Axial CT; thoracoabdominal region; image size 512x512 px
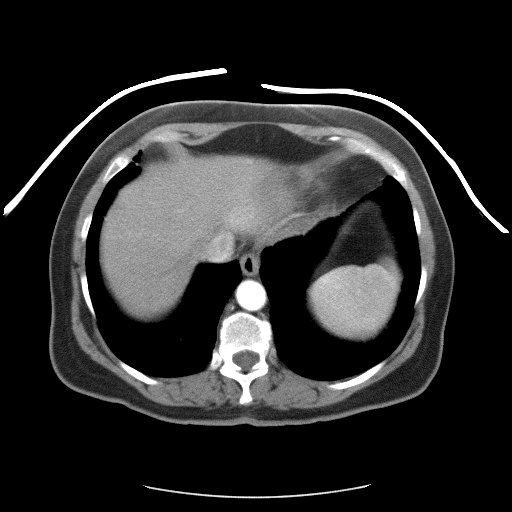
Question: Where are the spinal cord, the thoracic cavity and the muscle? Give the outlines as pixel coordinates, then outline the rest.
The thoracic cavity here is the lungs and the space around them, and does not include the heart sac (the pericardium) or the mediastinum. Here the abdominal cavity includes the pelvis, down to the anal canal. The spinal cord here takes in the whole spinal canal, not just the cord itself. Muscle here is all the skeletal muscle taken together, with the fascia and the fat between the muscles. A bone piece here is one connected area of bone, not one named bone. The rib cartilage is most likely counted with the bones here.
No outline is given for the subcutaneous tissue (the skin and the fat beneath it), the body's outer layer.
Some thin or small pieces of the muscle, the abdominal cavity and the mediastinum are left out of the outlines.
Answer: {"spinal_cord":[[[247,350],[248,351],[251,351],[252,352],[254,352],[256,353],[258,356],[258,359],[257,361],[250,367],[248,371],[244,371],[242,367],[238,364],[237,364],[233,360],[233,356],[236,353],[238,353],[242,351],[246,351]]],"thoracic_cavity":[[[388,175],[408,196],[419,249],[420,275],[409,325],[384,359],[356,375],[324,380],[296,373],[277,355],[269,320],[272,304],[259,272],[261,253],[339,219],[309,272],[305,310],[334,339],[375,340],[394,315],[404,281],[388,210],[378,199],[362,199]],[[140,151],[139,172],[117,189],[103,214],[97,240],[101,281],[119,312],[141,324],[162,322],[180,307],[199,265],[236,259],[241,271],[219,316],[218,343],[208,364],[187,375],[150,376],[120,359],[98,327],[89,292],[86,241],[94,209],[108,182]]],"muscle":[{"outer":[[250,120],[268,120],[269,121],[299,123],[300,124],[307,124],[316,126],[328,125],[334,127],[343,127],[355,130],[369,136],[384,148],[387,149],[406,168],[415,187],[419,192],[421,199],[424,204],[425,211],[433,233],[433,238],[435,244],[435,264],[434,265],[433,275],[431,278],[430,285],[425,299],[425,321],[424,322],[424,328],[422,332],[422,337],[413,354],[401,365],[391,371],[381,379],[354,392],[343,400],[329,405],[320,407],[313,407],[312,408],[290,408],[287,410],[279,410],[274,409],[269,406],[263,406],[262,405],[258,407],[254,407],[251,405],[250,406],[232,406],[231,407],[224,407],[223,406],[214,409],[205,409],[202,407],[195,407],[194,406],[173,406],[172,405],[161,404],[147,398],[133,386],[113,372],[91,359],[81,349],[73,334],[71,329],[70,305],[69,304],[71,294],[70,266],[72,263],[71,249],[74,233],[74,226],[79,212],[79,209],[91,186],[112,157],[122,149],[135,142],[149,130],[163,124],[177,123],[178,122],[207,122],[210,123],[211,122],[249,121]],"hole":[[250,124],[278,126],[318,144],[340,146],[338,141],[328,140],[328,137],[353,136],[393,157],[405,171],[406,193],[421,225],[417,241],[420,263],[427,272],[425,288],[398,345],[376,373],[358,384],[344,389],[328,388],[326,384],[344,379],[303,376],[277,355],[274,360],[268,355],[268,371],[251,381],[252,400],[247,404],[239,403],[242,387],[235,379],[222,375],[217,368],[208,369],[207,365],[187,375],[152,376],[160,383],[147,384],[120,366],[120,359],[109,347],[88,309],[80,281],[86,270],[86,243],[81,240],[81,228],[85,217],[94,211],[106,185],[102,178],[114,158],[129,150],[141,152],[159,144],[146,137],[164,129],[186,134],[183,143],[198,144]]}],"torso":[[[195,100],[358,109],[383,119],[412,144],[444,214],[455,258],[442,358],[437,373],[422,393],[386,407],[311,424],[184,425],[158,420],[120,403],[79,393],[56,376],[48,352],[51,318],[48,258],[54,225],[73,181],[96,147],[128,119],[155,106]]],"pericardium":[[[283,170],[295,170],[311,178],[322,191],[325,197],[327,213],[325,219],[305,235],[289,235],[280,239],[279,241],[278,240],[277,242],[276,241],[273,244],[264,244],[250,238],[245,233],[239,220],[238,209],[241,204],[244,193],[251,186],[265,176]]],"mediastinum":[[[356,154],[365,155],[377,162],[387,173],[387,175],[386,175],[382,180],[382,182],[379,186],[368,192],[364,195],[361,199],[355,200],[354,201],[348,201],[334,194],[327,187],[324,179],[324,174],[325,171],[339,159]],[[249,244],[252,244],[253,249],[255,250],[255,257],[259,260],[258,272],[271,304],[269,319],[260,318],[249,312],[238,310],[222,317],[218,327],[220,316],[224,306],[232,292],[242,279],[242,271],[238,258],[244,251],[244,248]]],"abdominal_cavity":[[[250,124],[355,154],[324,171],[325,185],[383,204],[403,270],[375,339],[334,338],[306,310],[340,219],[324,221],[323,191],[295,169],[241,197],[242,230],[273,245],[259,259],[249,243],[199,264],[159,322],[126,317],[106,291],[102,220],[142,151]]],"bones":[{"outer":[[238,311],[249,313],[260,319],[267,319],[270,322],[276,350],[274,360],[268,355],[266,357],[268,371],[251,381],[249,392],[252,400],[247,404],[239,403],[242,387],[235,379],[222,375],[217,368],[208,369],[213,349],[219,343],[218,329],[222,318]],"hole":[[247,350],[248,351],[251,351],[252,352],[254,352],[256,353],[258,356],[258,359],[257,361],[250,367],[248,371],[244,371],[242,367],[238,364],[237,364],[233,360],[233,356],[236,353],[238,353],[242,351],[246,351]]},[[336,134],[346,134],[348,136],[353,136],[355,138],[369,142],[393,157],[395,161],[405,171],[405,175],[408,183],[408,190],[407,191],[396,179],[388,174],[377,161],[371,157],[365,154],[349,151],[343,147],[338,141],[328,140],[327,139],[328,137]],[[383,360],[385,361],[385,363],[376,373],[366,380],[358,384],[356,384],[353,386],[351,386],[344,389],[331,389],[330,388],[328,388],[326,386],[326,384],[328,383],[334,383],[338,381],[344,381],[354,376],[356,376],[364,372],[366,370],[369,369]],[[135,149],[137,149],[138,152],[132,158],[132,160],[130,161],[127,164],[127,165],[126,165],[122,169],[116,173],[107,182],[106,184],[104,184],[102,182],[102,178],[106,172],[110,163],[114,159],[114,158],[121,153],[125,153],[129,150],[134,150]],[[164,129],[169,129],[170,130],[177,131],[181,133],[184,133],[186,134],[187,136],[185,137],[185,139],[183,141],[178,141],[175,143],[170,143],[169,142],[168,143],[153,142],[147,139],[146,137],[148,135],[148,134],[151,134],[152,133],[157,133]],[[119,360],[121,360],[123,362],[129,365],[131,367],[134,368],[136,370],[159,381],[160,383],[159,384],[156,384],[155,385],[151,385],[150,384],[147,384],[137,379],[135,377],[129,374],[123,368],[122,368],[120,366],[119,364]],[[84,271],[85,271],[85,273],[86,274],[88,292],[89,293],[90,300],[92,304],[92,307],[94,310],[95,318],[94,318],[92,316],[91,313],[88,309],[88,307],[84,299],[83,293],[82,292],[82,289],[81,288],[80,276]],[[421,264],[423,264],[426,268],[427,277],[426,278],[426,283],[425,284],[424,291],[418,303],[416,306],[414,306],[415,300],[416,299],[416,296],[417,295],[417,292],[418,291],[418,288],[419,287],[419,282],[420,281],[420,276],[421,275]],[[90,212],[92,212],[92,217],[91,218],[90,225],[88,229],[88,232],[87,233],[86,240],[85,242],[83,242],[81,240],[81,236],[80,235],[81,233],[81,228],[82,227],[82,225],[83,224],[83,221],[85,217]],[[412,206],[414,206],[416,208],[417,212],[419,215],[419,219],[420,220],[420,224],[421,225],[421,231],[420,232],[420,235],[419,236],[417,235],[417,233],[416,232],[416,228],[415,227],[415,222],[414,221],[414,218],[413,217],[413,210],[412,209]]]}